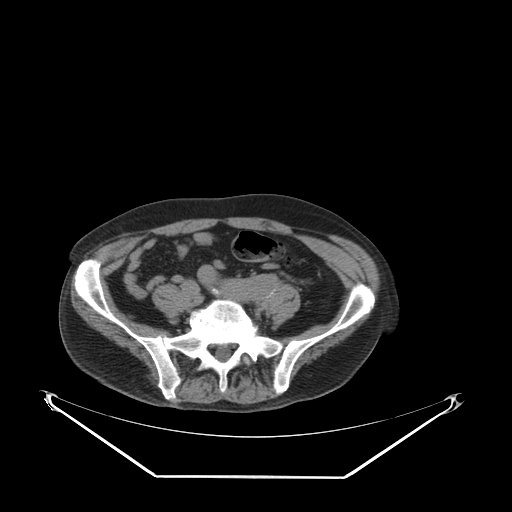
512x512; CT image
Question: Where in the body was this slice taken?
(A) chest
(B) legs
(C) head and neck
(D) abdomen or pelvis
Answer: (D) abdomen or pelvis
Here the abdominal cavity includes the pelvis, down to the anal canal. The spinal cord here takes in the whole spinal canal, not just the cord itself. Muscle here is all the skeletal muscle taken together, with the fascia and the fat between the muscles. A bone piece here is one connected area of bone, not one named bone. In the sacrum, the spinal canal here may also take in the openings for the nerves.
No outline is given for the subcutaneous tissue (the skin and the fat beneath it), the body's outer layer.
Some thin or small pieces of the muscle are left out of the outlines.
{"bones":[{"outer":[[89,258],[100,262],[110,311],[144,337],[183,334],[193,310],[230,299],[259,335],[286,345],[332,327],[357,282],[375,302],[307,348],[279,395],[280,354],[242,361],[221,392],[213,369],[171,350],[181,382],[168,400],[143,345],[77,294],[74,275]],"hole":[[228,344],[234,344],[235,345],[235,347],[233,349],[233,350],[232,351],[232,353],[231,354],[231,355],[228,358],[228,359],[225,361],[220,361],[219,360],[218,360],[215,357],[215,356],[214,355],[214,354],[210,349],[210,346],[211,345],[227,345]]}],"muscle":[[[227,217],[273,219],[282,223],[336,235],[356,243],[373,259],[380,275],[380,288],[375,305],[376,297],[373,290],[367,284],[357,281],[351,287],[344,307],[332,326],[319,334],[301,339],[293,338],[286,344],[283,344],[277,338],[297,335],[314,325],[328,323],[336,315],[341,305],[342,298],[346,292],[344,283],[319,255],[301,240],[289,234],[234,227],[218,222],[213,226],[186,233],[147,236],[137,243],[126,255],[122,263],[105,278],[113,301],[119,310],[135,322],[161,328],[172,334],[172,336],[160,334],[144,336],[134,332],[111,311],[108,305],[100,279],[101,262],[96,258],[89,257],[83,259],[76,268],[79,259],[101,241],[125,233],[150,229],[184,219]],[[171,351],[198,359],[198,371],[213,370],[218,376],[221,393],[228,387],[229,372],[242,362],[249,366],[256,363],[259,356],[268,359],[280,355],[272,372],[271,383],[277,396],[249,404],[225,399],[211,403],[171,401],[176,398],[176,389],[182,382]],[[75,269],[73,275],[73,287],[76,294],[98,314],[120,327],[129,336],[135,339],[142,345],[149,354],[154,364],[157,373],[157,384],[147,371],[132,356],[101,333],[90,327],[75,311],[71,304],[71,300],[70,299],[70,281],[71,280],[72,274]],[[372,310],[369,317],[366,320],[365,323],[343,343],[315,359],[310,363],[305,364],[299,370],[290,385],[291,382],[291,374],[294,368],[294,366],[300,356],[307,349],[316,343],[319,342],[324,338],[340,330],[347,328],[362,318],[365,315],[367,315]],[[278,283],[289,284],[294,287],[297,290],[299,294],[299,297],[300,298],[300,305],[299,306],[299,308],[290,318],[287,319],[280,324],[274,324],[272,318],[268,314],[264,308],[264,304],[266,300],[270,297],[274,291],[274,289],[276,287],[276,285]],[[163,284],[172,284],[176,286],[181,291],[181,292],[185,297],[185,299],[187,302],[187,308],[181,313],[180,313],[178,316],[176,316],[175,317],[167,317],[155,306],[152,300],[152,294],[153,292],[156,289],[156,288],[158,287],[158,286],[162,285]]],"abdominal_cavity":[{"outer":[[218,223],[289,235],[301,241],[343,283],[345,292],[335,315],[300,333],[273,338],[259,334],[258,325],[242,304],[230,298],[214,298],[193,309],[188,318],[189,329],[176,335],[135,321],[124,313],[116,305],[106,278],[137,244],[150,236],[186,234]],"hole":[[278,283],[289,284],[294,287],[297,290],[299,294],[299,297],[300,298],[300,305],[299,306],[299,308],[290,318],[287,319],[280,324],[274,324],[272,318],[268,314],[264,308],[264,304],[266,300],[270,297],[274,291],[274,289],[276,287],[276,285]]}],"torso":[[[248,193],[289,195],[327,208],[368,237],[388,262],[399,300],[397,329],[387,341],[381,338],[355,375],[343,386],[312,400],[268,411],[231,413],[151,405],[111,389],[79,370],[64,349],[57,319],[67,256],[73,244],[94,227],[138,205],[174,197]]],"spinal_cord":[[[228,344],[234,344],[235,345],[235,347],[233,349],[233,350],[232,351],[232,353],[231,354],[231,355],[228,358],[228,359],[225,361],[220,361],[219,360],[218,360],[215,357],[215,356],[214,355],[214,354],[210,349],[210,346],[211,345],[227,345]]]}